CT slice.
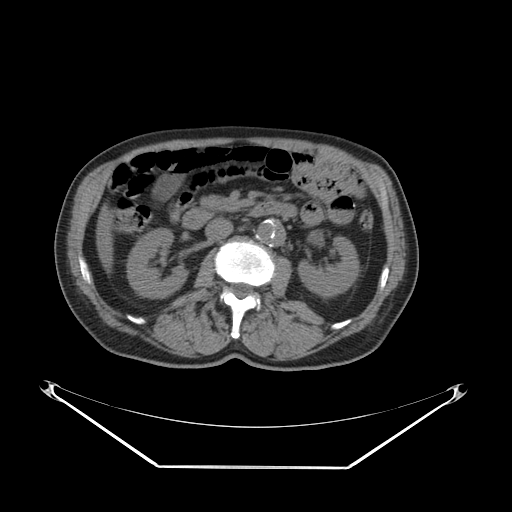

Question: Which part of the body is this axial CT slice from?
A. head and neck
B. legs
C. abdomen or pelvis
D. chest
Answer: C. abdomen or pelvis
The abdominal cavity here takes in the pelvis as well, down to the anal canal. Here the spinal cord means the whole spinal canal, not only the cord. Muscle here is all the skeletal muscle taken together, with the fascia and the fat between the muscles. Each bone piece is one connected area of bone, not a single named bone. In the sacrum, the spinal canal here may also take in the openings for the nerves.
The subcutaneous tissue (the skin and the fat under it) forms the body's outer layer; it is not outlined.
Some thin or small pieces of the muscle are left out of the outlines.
Outlines (x, y in pixels):
bones 1: [[229,240],[252,240],[264,246],[272,255],[275,264],[274,275],[270,282],[257,289],[261,302],[260,309],[251,308],[244,313],[239,326],[239,337],[235,339],[230,335],[232,327],[231,309],[219,296],[225,283],[216,273],[214,265],[215,253],[221,245]] with a hole at [[232,283],[244,283],[245,284],[247,284],[248,285],[251,286],[253,288],[253,290],[251,293],[250,293],[249,294],[246,295],[244,297],[243,297],[242,298],[239,298],[238,297],[237,297],[230,290],[230,284],[231,284]]
bones 2: [[79,256],[82,256],[87,263],[87,265],[88,266],[88,268],[90,272],[90,278],[91,279],[91,282],[90,283],[87,283],[83,279],[82,277],[82,275],[81,274],[81,271],[80,270],[80,266],[79,265],[79,261],[78,260],[78,257]]
bones 3: [[380,180],[382,182],[385,188],[385,190],[386,191],[386,194],[387,195],[387,203],[388,204],[388,211],[387,213],[385,213],[384,214],[382,211],[382,208],[381,207],[382,206],[382,198],[380,194],[380,188],[379,187],[380,186],[379,185],[380,183]]
bones 4: [[385,265],[386,265],[388,267],[388,268],[389,269],[389,272],[388,273],[388,275],[387,276],[387,279],[386,280],[385,285],[384,286],[383,289],[382,290],[380,290],[380,282],[379,281],[379,280],[380,279],[380,275],[381,274],[382,269]]
bones 5: [[349,318],[351,318],[351,321],[349,323],[348,323],[343,327],[342,327],[341,328],[339,328],[338,329],[332,329],[331,328],[330,328],[331,325],[333,323],[334,323],[335,322],[339,322],[340,321],[342,321],[343,320],[345,320],[346,319],[348,319]]
bones 6: [[126,314],[130,314],[133,316],[139,316],[140,317],[142,317],[146,321],[145,322],[145,323],[143,323],[142,324],[137,324],[136,323],[135,323],[134,322],[133,322],[132,321],[131,321],[129,319],[128,319],[126,316]]
abdominal cavity: [[237,141],[341,161],[364,180],[381,212],[386,258],[373,296],[357,315],[332,323],[305,301],[288,298],[291,261],[252,239],[229,239],[217,250],[214,247],[200,262],[193,289],[154,315],[124,313],[99,293],[83,244],[86,226],[112,170],[150,152]]
spinal cord: [[232,283],[244,283],[245,284],[247,284],[248,285],[251,286],[253,288],[253,290],[251,293],[250,293],[249,294],[246,295],[244,297],[243,297],[242,298],[239,298],[238,297],[237,297],[230,290],[230,284],[231,284]]
muscle: [[214,137],[279,137],[306,140],[337,147],[363,161],[375,163],[384,169],[391,180],[398,199],[403,222],[406,244],[405,269],[402,279],[384,300],[371,324],[307,356],[293,360],[277,361],[259,356],[247,349],[240,341],[234,340],[219,351],[208,356],[184,357],[162,350],[136,335],[119,331],[104,323],[96,309],[73,282],[68,261],[67,233],[72,216],[74,197],[80,183],[89,172],[99,165],[138,147],[174,139]]; inner edges: [[237,141],[341,161],[377,200],[389,272],[383,289],[379,281],[364,309],[343,327],[330,328],[332,323],[305,301],[286,296],[292,263],[276,253],[271,254],[273,277],[257,289],[261,307],[244,313],[235,339],[230,335],[231,309],[219,296],[225,283],[215,270],[215,247],[200,262],[193,289],[158,313],[144,315],[142,324],[107,303],[91,274],[90,283],[83,279],[78,257],[86,259],[86,226],[115,167],[150,152]], then [[380,180],[382,182],[385,188],[385,190],[386,191],[386,194],[387,195],[387,203],[388,204],[388,211],[387,213],[385,213],[384,214],[382,211],[382,208],[381,207],[382,206],[382,198],[380,194],[380,188],[379,187],[380,186],[379,185],[380,183]]
torso: [[220,124],[331,133],[373,149],[391,165],[414,221],[419,270],[407,304],[385,340],[373,352],[350,363],[316,370],[267,370],[237,358],[205,368],[171,368],[107,351],[75,318],[58,282],[53,243],[60,208],[76,173],[104,149],[132,136],[160,129]]